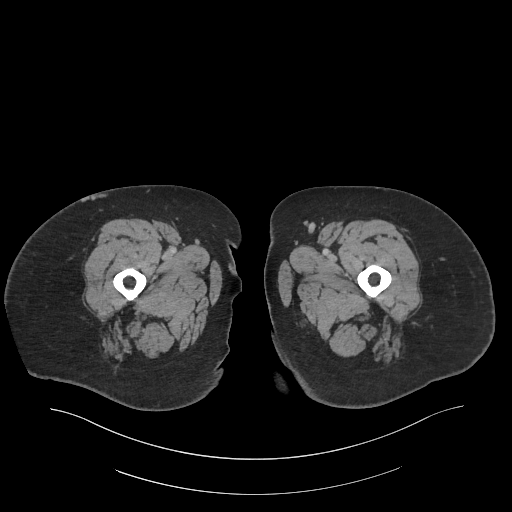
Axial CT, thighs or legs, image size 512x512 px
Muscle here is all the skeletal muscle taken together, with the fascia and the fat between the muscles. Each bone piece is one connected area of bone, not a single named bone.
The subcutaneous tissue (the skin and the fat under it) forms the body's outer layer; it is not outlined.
{"right_leg":[[[141,184],[174,184],[205,191],[232,211],[242,234],[239,248],[232,250],[242,289],[233,302],[229,353],[221,364],[223,375],[218,385],[199,401],[166,411],[134,409],[81,386],[32,376],[18,351],[4,303],[10,267],[24,242],[45,220],[87,195]]],"left_leg":[[[328,185],[383,186],[413,193],[441,208],[466,232],[488,270],[495,305],[493,338],[484,354],[470,368],[374,407],[356,409],[333,407],[317,402],[303,393],[292,374],[280,363],[272,345],[262,271],[269,244],[269,219],[274,207],[293,192],[309,187]],[[274,369],[277,369],[279,371],[280,371],[280,372],[283,375],[283,376],[287,381],[287,382],[290,387],[290,389],[291,390],[291,391],[288,396],[284,396],[283,395],[280,394],[274,387],[274,386],[272,383],[272,379],[271,378],[271,372]]],"muscle":[{"outer":[[331,207],[376,213],[390,219],[405,230],[416,247],[422,272],[420,289],[423,302],[413,321],[407,324],[404,350],[401,358],[386,369],[363,371],[338,366],[314,349],[303,337],[289,321],[287,310],[281,303],[276,275],[279,264],[294,235],[306,214]],"hole":[[370,264],[377,264],[385,268],[388,271],[389,271],[389,272],[391,274],[391,282],[390,284],[385,289],[384,289],[381,292],[380,292],[375,297],[369,297],[358,285],[357,283],[357,275],[358,273],[360,271],[361,271],[366,266]]},{"outer":[[144,214],[173,221],[192,231],[218,261],[222,270],[222,288],[203,333],[195,345],[184,354],[152,370],[116,368],[101,357],[98,349],[100,341],[98,326],[81,301],[85,285],[82,264],[86,249],[92,242],[92,236],[103,223],[115,217]],"hole":[[127,267],[133,267],[139,270],[143,274],[144,274],[146,277],[146,285],[144,287],[144,288],[139,293],[139,294],[134,299],[132,300],[127,300],[126,298],[114,287],[113,285],[113,283],[112,282],[113,277],[115,275],[115,274],[116,274],[121,270]]}],"bones":[[[370,264],[377,264],[385,268],[388,271],[389,271],[389,272],[391,274],[391,282],[390,284],[385,289],[384,289],[381,292],[380,292],[375,297],[369,297],[358,285],[357,283],[357,275],[358,273],[360,271],[361,271],[366,266]],[[127,267],[133,267],[139,270],[143,274],[144,274],[146,277],[146,285],[144,287],[144,288],[139,293],[139,294],[134,299],[132,300],[127,300],[126,298],[114,287],[113,285],[113,283],[112,282],[113,277],[115,275],[115,274],[116,274],[121,270]]]}